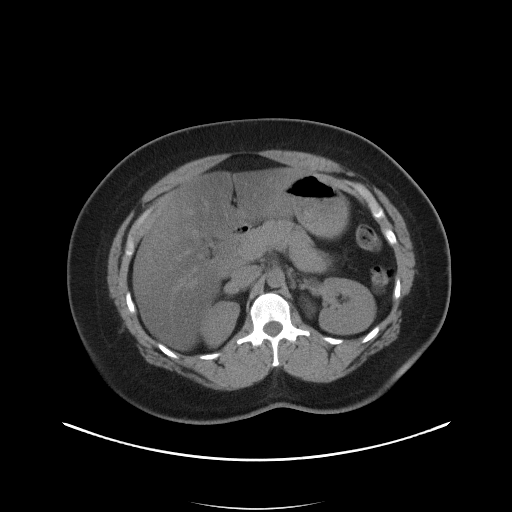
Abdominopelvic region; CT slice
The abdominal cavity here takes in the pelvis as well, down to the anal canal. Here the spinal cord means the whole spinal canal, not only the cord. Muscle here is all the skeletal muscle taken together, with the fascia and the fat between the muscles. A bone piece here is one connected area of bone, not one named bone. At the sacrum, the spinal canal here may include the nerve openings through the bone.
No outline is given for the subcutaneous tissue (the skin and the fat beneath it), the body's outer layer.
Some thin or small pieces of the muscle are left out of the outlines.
The spinal cord is outlined by (272, 321) (274, 321) (275, 322) (278, 322) (281, 325) (281, 329) (278, 332) (278, 333) (277, 333) (275, 335) (270, 335) (269, 334) (268, 334) (266, 332) (265, 332) (264, 331) (264, 326) (267, 323) (268, 323) (269, 322) (271, 322). The bones appear in 10 outlined pieces: piece 1: (266, 292) (274, 292) (283, 297) (289, 303) (292, 324) (310, 333) (309, 336) (298, 335) (295, 342) (282, 339) (277, 346) (277, 366) (272, 366) (273, 351) (268, 341) (265, 340) (258, 346) (253, 346) (249, 341) (240, 344) (236, 342) (252, 331) (251, 305) (260, 294); inner edge: (272, 321) (274, 321) (275, 322) (278, 322) (281, 325) (281, 329) (278, 332) (278, 333) (277, 333) (275, 335) (270, 335) (269, 334) (268, 334) (266, 332) (265, 332) (264, 331) (264, 326) (267, 323) (268, 323) (269, 322) (271, 322); piece 2: (347, 181) (350, 181) (351, 182) (358, 182) (359, 183) (361, 183) (365, 186) (365, 187) (369, 190) (377, 202) (382, 207) (385, 214) (385, 217) (384, 218) (379, 218) (378, 219) (376, 219) (372, 215) (372, 213) (368, 207) (367, 203) (358, 193) (358, 192) (346, 182); piece 3: (149, 208) (151, 208) (149, 213) (145, 218) (144, 221) (136, 230) (133, 236) (133, 240) (134, 241) (134, 250) (133, 253) (131, 256) (126, 256) (125, 255) (125, 246) (126, 245) (126, 242) (128, 236) (132, 231) (132, 229) (136, 223) (138, 218) (144, 211); piece 4: (387, 228) (388, 228) (389, 229) (392, 230) (393, 231) (393, 232) (395, 234) (395, 236) (396, 237) (396, 240) (397, 241) (397, 242) (395, 244) (393, 244) (392, 245) (391, 245) (389, 243) (388, 240) (385, 237) (385, 236) (383, 233) (383, 231) (385, 229) (386, 229); piece 5: (157, 343) (160, 343) (161, 344) (162, 344) (164, 346) (165, 346) (173, 352) (176, 353) (179, 357) (177, 359) (176, 359) (175, 358) (172, 358) (171, 357) (168, 356) (166, 354) (165, 354) (161, 350) (160, 350) (160, 349) (157, 346); piece 6: (378, 325) (378, 326) (379, 327) (379, 330) (378, 331) (377, 334) (373, 338) (370, 339) (368, 341) (367, 341) (366, 342) (364, 342) (363, 343) (362, 342) (361, 342) (361, 341) (362, 340) (363, 337) (364, 336) (365, 336) (374, 327) (375, 327); piece 7: (127, 292) (129, 292) (131, 295) (131, 298) (133, 301) (133, 303) (135, 306) (135, 309) (136, 310) (136, 312) (135, 313) (131, 313) (129, 311) (129, 310) (128, 309) (128, 307) (127, 306) (127, 304) (126, 303) (126, 293); piece 8: (396, 278) (398, 278) (400, 280) (400, 295) (399, 296) (399, 297) (397, 299) (395, 299) (393, 297) (393, 293) (394, 292) (394, 286) (395, 285) (395, 282) (396, 281); piece 9: (323, 336) (329, 336) (330, 337) (333, 337) (334, 338) (339, 338) (340, 339) (343, 339) (343, 341) (341, 343) (338, 343) (337, 344) (331, 344) (330, 343) (329, 343) (328, 342) (327, 342) (326, 341) (325, 341) (324, 340) (323, 340) (321, 338); piece 10: (215, 352) (218, 352) (219, 353) (220, 353) (220, 355) (218, 357) (217, 357) (216, 358) (215, 358) (214, 359) (201, 359) (200, 358) (199, 358) (199, 355) (201, 355) (202, 354) (209, 354) (210, 353) (214, 353). The torso is outlined by (257, 117) (308, 119) (353, 131) (383, 149) (414, 179) (437, 211) (449, 244) (451, 293) (447, 313) (439, 333) (419, 359) (385, 394) (359, 408) (322, 414) (277, 407) (219, 424) (163, 419) (118, 396) (90, 362) (67, 297) (70, 234) (93, 189) (137, 147) (180, 128). The abdominal cavity is outlined by (240, 154) (258, 155) (304, 169) (357, 199) (370, 211) (393, 249) (397, 267) (391, 308) (365, 335) (344, 339) (323, 335) (306, 324) (295, 306) (274, 291) (260, 293) (252, 301) (240, 329) (218, 351) (177, 353) (146, 332) (128, 286) (136, 243) (153, 226) (181, 184). The muscle is outlined by (269, 149) (294, 150) (295, 151) (307, 152) (308, 153) (312, 153) (316, 155) (323, 156) (337, 162) (342, 166) (356, 173) (362, 175) (370, 183) (382, 191) (401, 214) (409, 232) (410, 239) (413, 246) (413, 252) (415, 257) (415, 265) (414, 266) (415, 273) (414, 274) (414, 278) (410, 291) (404, 297) (400, 306) (401, 308) (401, 322) (400, 323) (400, 331) (397, 336) (397, 338) (377, 352) (370, 355) (361, 365) (346, 375) (330, 382) (326, 382) (325, 383) (311, 382) (310, 381) (302, 380) (298, 377) (295, 377) (287, 373) (282, 369) (273, 368) (263, 379) (254, 383) (250, 386) (236, 390) (231, 390) (230, 391) (216, 390) (204, 386) (174, 371) (170, 371) (162, 367) (159, 367) (150, 364) (145, 360) (141, 355) (137, 347) (137, 340) (124, 325) (124, 322) (120, 316) (113, 300) (109, 296) (109, 291) (108, 290) (107, 280) (106, 279) (107, 276) (107, 261) (108, 260) (108, 255) (113, 238) (115, 236) (118, 228) (130, 211) (138, 204) (142, 195) (153, 184) (170, 171) (189, 161) (209, 155) (227, 153) (228, 152) (239, 151) (240, 150) (261, 151) (262, 150) (268, 150); inner edge: (240, 154) (258, 155) (304, 169) (367, 209) (367, 203) (346, 182) (361, 183) (382, 207) (385, 217) (376, 221) (382, 232) (388, 228) (396, 237) (397, 242) (391, 246) (400, 295) (392, 298) (391, 308) (377, 324) (379, 330) (373, 338) (363, 343) (362, 336) (345, 338) (331, 344) (302, 320) (291, 303) (292, 324) (310, 334) (298, 335) (295, 342) (282, 339) (277, 346) (277, 366) (272, 366) (273, 351) (268, 341) (258, 346) (249, 341) (237, 344) (237, 339) (253, 329) (248, 311) (240, 329) (218, 351) (218, 357) (201, 359) (198, 354) (178, 353) (176, 359) (160, 350) (138, 314) (129, 311) (126, 293) (130, 291) (128, 270) (132, 257) (125, 255) (125, 246) (138, 218) (151, 209) (133, 236) (135, 245) (181, 184).